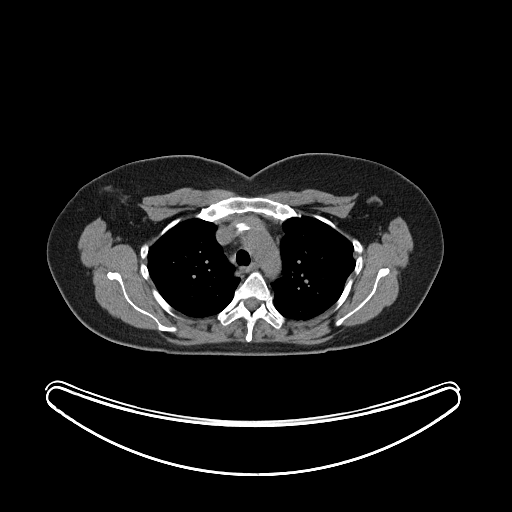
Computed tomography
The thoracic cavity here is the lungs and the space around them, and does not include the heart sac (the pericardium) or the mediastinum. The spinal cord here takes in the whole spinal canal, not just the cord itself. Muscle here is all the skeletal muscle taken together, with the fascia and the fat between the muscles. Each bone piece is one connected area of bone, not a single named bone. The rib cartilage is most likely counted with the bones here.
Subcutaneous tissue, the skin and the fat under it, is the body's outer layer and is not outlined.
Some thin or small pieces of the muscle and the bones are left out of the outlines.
Outlines (x, y in pixels):
muscle 1: [[98,216],[116,239],[137,252],[139,248],[140,258],[146,260],[139,264],[139,272],[145,280],[151,279],[152,296],[169,315],[179,317],[174,309],[196,318],[215,315],[222,326],[242,318],[246,342],[177,345],[102,308],[77,249],[84,227]], around a hole outlined by [[109,271],[118,272],[120,274],[126,293],[129,298],[138,307],[152,314],[162,324],[166,326],[175,326],[176,327],[176,330],[173,332],[159,330],[157,328],[157,324],[152,318],[136,310],[126,300],[119,282],[116,279],[109,279],[107,277],[107,273]]
muscle 2: [[397,216],[408,226],[413,250],[401,272],[393,303],[373,318],[345,326],[318,344],[250,342],[259,319],[278,330],[287,319],[309,320],[334,304],[332,311],[336,311],[351,291],[354,279],[350,275],[358,275],[363,267],[361,242],[365,246],[372,242]], around a hole outlined by [[382,267],[387,267],[389,269],[389,272],[386,275],[382,276],[378,280],[376,289],[372,296],[358,310],[346,318],[340,325],[336,326],[334,323],[338,319],[356,307],[369,294],[373,288],[373,285],[374,284],[377,273],[379,269]]
muscle 3: [[182,187],[201,190],[219,188],[233,191],[240,195],[228,196],[202,207],[194,217],[183,220],[181,216],[175,217],[160,230],[158,234],[159,237],[149,246],[144,242],[156,234],[160,223],[149,219],[146,212],[138,206],[139,201],[144,196],[164,194]]
muscle 4: [[303,189],[317,189],[337,196],[358,193],[355,204],[348,215],[339,220],[339,225],[355,237],[352,237],[349,240],[338,231],[338,227],[330,219],[321,214],[313,213],[311,216],[305,215],[287,203],[283,203],[265,196],[256,196],[284,190],[299,191]]
bones 1: [[255,271],[261,274],[272,293],[272,302],[274,307],[286,319],[285,322],[277,329],[264,319],[259,318],[253,326],[251,340],[247,342],[245,339],[247,326],[244,318],[240,317],[227,325],[222,325],[216,318],[216,315],[232,300],[238,286],[252,272]], around a hole outlined by [[252,297],[253,298],[255,298],[258,301],[259,301],[259,304],[258,305],[258,306],[254,310],[253,310],[252,311],[251,311],[250,310],[249,310],[245,306],[245,303],[244,302],[245,301],[245,300],[246,299],[247,299],[248,298],[251,298]]
bones 2: [[232,196],[269,198],[283,204],[287,204],[302,215],[300,217],[290,217],[285,220],[281,220],[271,216],[267,216],[262,213],[247,211],[243,213],[232,214],[225,218],[218,219],[214,222],[207,221],[195,217],[195,215],[202,208],[207,207],[213,203]]
bones 3: [[109,271],[118,272],[120,274],[126,293],[129,298],[138,307],[152,314],[162,324],[166,326],[175,326],[176,327],[176,330],[173,332],[159,330],[157,328],[157,324],[152,318],[136,310],[126,300],[119,282],[116,279],[109,279],[107,277],[107,273]]
bones 4: [[382,267],[387,267],[389,269],[389,272],[386,275],[382,276],[378,280],[376,289],[372,296],[358,310],[346,318],[340,325],[336,326],[334,323],[338,319],[356,307],[369,294],[373,288],[373,285],[374,284],[377,273],[379,269]]
bones 5: [[352,238],[356,238],[360,242],[362,246],[362,252],[361,253],[361,256],[362,257],[362,267],[358,274],[355,274],[353,271],[355,267],[355,262],[356,261],[356,258],[358,254],[354,252],[354,248],[351,242],[351,239]]
bones 6: [[153,288],[155,288],[157,290],[157,291],[161,295],[161,296],[173,308],[173,311],[177,315],[177,316],[178,317],[175,317],[174,316],[172,316],[170,314],[169,314],[157,302],[157,301],[154,298],[154,297],[153,296],[153,294],[152,293],[152,289]]
bones 7: [[349,276],[350,276],[353,279],[353,282],[352,283],[352,285],[351,286],[350,291],[348,295],[346,297],[345,300],[342,303],[342,304],[336,310],[333,311],[333,309],[335,306],[335,303],[341,295],[343,291],[343,289],[345,286],[345,284]]
bones 8: [[177,217],[181,217],[181,219],[182,220],[181,221],[178,222],[175,225],[174,225],[169,229],[168,229],[162,235],[161,235],[160,236],[159,235],[159,234],[160,233],[161,230],[169,222],[170,222],[172,220],[173,220],[175,218],[176,218]]
bones 9: [[313,214],[318,214],[319,215],[321,215],[322,216],[327,218],[329,220],[330,220],[337,227],[337,230],[336,229],[333,228],[330,225],[329,225],[327,223],[326,223],[325,222],[324,222],[317,218],[315,218],[314,217],[313,217],[312,216],[312,215]]
thoracic cavity 1: [[191,218],[197,218],[215,224],[215,239],[221,246],[222,251],[228,262],[233,266],[233,275],[239,278],[239,284],[234,290],[231,300],[216,314],[202,317],[190,316],[175,309],[156,288],[154,282],[150,277],[147,266],[147,257],[150,246],[178,223]]
thoracic cavity 2: [[303,215],[310,216],[327,224],[350,241],[355,261],[353,270],[348,276],[340,295],[331,306],[309,319],[291,319],[286,318],[275,307],[273,302],[274,295],[271,290],[272,283],[282,275],[280,242],[285,235],[282,227],[283,222],[290,218],[300,218]]
spinal cord: [[252,297],[253,298],[255,298],[258,301],[259,301],[259,304],[258,305],[258,306],[254,310],[253,310],[252,311],[251,311],[250,310],[249,310],[245,306],[245,303],[244,302],[245,301],[245,300],[246,299],[247,299],[248,298],[251,298]]
mediastinum: [[247,212],[262,214],[267,217],[283,221],[281,227],[284,235],[279,242],[281,275],[271,283],[271,289],[262,274],[257,270],[252,271],[240,283],[240,278],[234,275],[234,266],[229,262],[222,246],[217,241],[215,236],[217,229],[215,222],[232,215]]
torso: [[307,152],[355,156],[391,167],[423,191],[438,216],[444,242],[441,265],[417,311],[393,333],[363,345],[315,354],[175,355],[105,339],[81,323],[66,304],[49,270],[46,244],[58,214],[90,180],[132,161],[172,154],[218,160],[250,175],[274,161]]